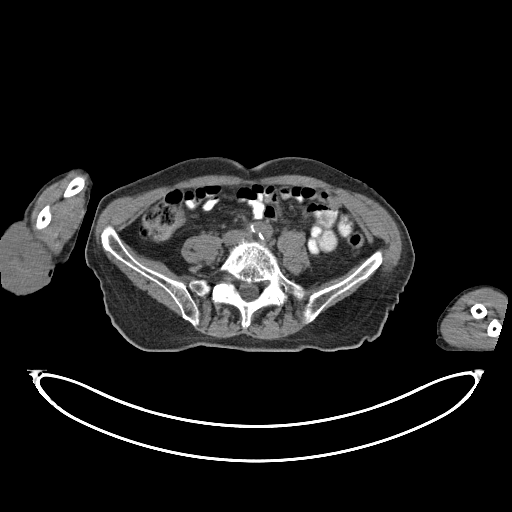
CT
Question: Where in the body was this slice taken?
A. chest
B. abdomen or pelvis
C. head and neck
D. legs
Answer: B. abdomen or pelvis
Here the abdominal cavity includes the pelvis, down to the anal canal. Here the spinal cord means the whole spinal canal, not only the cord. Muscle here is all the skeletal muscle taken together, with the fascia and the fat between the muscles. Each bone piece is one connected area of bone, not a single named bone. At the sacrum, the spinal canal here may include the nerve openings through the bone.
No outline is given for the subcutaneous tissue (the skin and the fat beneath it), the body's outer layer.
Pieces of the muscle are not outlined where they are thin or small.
{"torso":[[[207,156],[228,157],[247,167],[284,156],[316,159],[365,182],[395,209],[408,230],[415,260],[399,301],[377,338],[335,351],[248,352],[198,346],[152,352],[134,346],[121,335],[106,314],[99,282],[84,257],[98,202],[110,191],[174,163]]],"bones":[{"outer":[[107,225],[141,264],[187,286],[194,279],[217,282],[222,274],[215,272],[242,239],[264,244],[281,272],[305,294],[298,299],[288,291],[281,306],[257,309],[243,328],[235,306],[215,303],[210,293],[192,293],[199,310],[193,326],[162,287],[103,248]],"hole":[[235,279],[240,280],[242,282],[248,284],[251,283],[257,283],[258,282],[263,282],[264,281],[267,281],[268,283],[265,285],[256,298],[248,301],[245,300],[241,296],[240,293],[237,290],[236,287],[232,282],[232,281]]},[[377,249],[380,249],[382,252],[383,259],[381,264],[366,279],[356,283],[349,289],[335,297],[311,322],[307,324],[304,324],[302,312],[305,307],[305,305],[308,300],[310,294],[315,291],[317,291],[320,289],[335,284],[346,278],[350,275],[366,258]],[[78,175],[81,175],[85,178],[85,183],[84,184],[84,186],[83,188],[79,192],[78,192],[76,194],[72,196],[70,196],[69,197],[64,197],[63,196],[63,194],[65,191],[65,189],[67,185],[69,183],[69,182],[74,177]],[[46,205],[49,205],[50,206],[50,211],[51,212],[51,218],[50,219],[50,221],[49,222],[49,223],[45,227],[44,227],[41,229],[38,229],[35,227],[35,225],[36,224],[36,220],[37,219],[37,216],[38,215],[38,214],[39,213],[39,212]],[[476,303],[481,303],[482,304],[483,304],[487,310],[487,313],[486,314],[486,315],[484,317],[483,317],[482,318],[480,318],[479,319],[476,319],[475,318],[474,318],[473,317],[473,316],[471,313],[471,311],[470,310],[471,307],[474,304],[475,304]],[[494,318],[495,318],[496,319],[497,319],[501,324],[501,330],[500,331],[500,332],[499,333],[499,335],[498,336],[495,336],[494,337],[493,337],[492,336],[489,336],[487,334],[487,327],[488,326],[488,325],[489,324],[489,323],[491,321],[491,320]]],"abdominal_cavity":[{"outer":[[259,183],[316,186],[331,190],[340,198],[363,231],[367,243],[374,246],[375,250],[336,277],[310,285],[298,283],[282,272],[278,258],[264,243],[244,238],[228,250],[215,271],[207,274],[177,274],[162,261],[138,253],[120,236],[124,228],[173,188]],"hole":[[287,230],[295,230],[296,231],[303,232],[305,236],[304,245],[308,255],[310,266],[298,274],[292,274],[291,273],[289,273],[289,272],[285,268],[282,264],[282,262],[283,261],[282,254],[280,253],[279,249],[277,246],[278,237],[282,233],[282,232]]}],"left_arm":[[[483,283],[494,285],[503,290],[507,295],[507,303],[505,308],[503,322],[501,324],[501,330],[493,350],[491,352],[449,352],[440,348],[435,342],[436,338],[436,322],[439,315],[447,304],[459,292],[470,286],[473,286],[477,284],[482,284]]],"right_arm":[[[74,167],[82,167],[88,170],[93,181],[93,186],[75,246],[68,260],[55,268],[52,278],[47,285],[33,293],[24,296],[18,296],[5,290],[3,288],[2,274],[0,271],[0,240],[3,235],[4,229],[23,216],[25,208],[44,183],[52,177]]],"muscle":[[[205,175],[232,175],[251,180],[302,175],[362,194],[383,207],[396,223],[402,244],[399,261],[388,275],[382,276],[377,272],[351,294],[322,312],[335,298],[366,280],[384,259],[382,250],[368,243],[364,231],[335,192],[316,185],[274,182],[173,187],[152,202],[119,235],[112,225],[107,224],[100,233],[100,242],[106,252],[162,288],[177,306],[180,317],[135,286],[106,257],[97,245],[95,231],[100,214],[114,199]],[[362,260],[343,279],[310,293],[301,312],[302,322],[306,325],[297,332],[283,338],[260,339],[244,333],[230,337],[215,337],[201,333],[193,327],[200,323],[200,310],[192,294],[199,297],[210,294],[211,300],[215,304],[221,303],[235,307],[240,314],[240,325],[243,329],[246,329],[251,324],[252,316],[257,310],[269,306],[281,307],[288,298],[288,292],[301,300],[306,294],[306,290],[302,285],[320,284],[341,276]],{"outer":[[483,287],[491,288],[501,293],[507,299],[503,322],[501,323],[497,318],[494,317],[490,320],[486,327],[486,334],[489,337],[498,337],[494,348],[468,349],[450,345],[443,339],[440,330],[440,326],[443,319],[449,312],[450,308],[461,296],[470,291]],"hole":[[476,303],[481,303],[482,304],[483,304],[487,310],[487,313],[486,314],[486,315],[484,317],[483,317],[482,318],[480,318],[479,319],[476,319],[475,318],[474,318],[473,317],[473,316],[471,313],[471,311],[470,310],[471,307],[474,304],[475,304]]},{"outer":[[75,171],[80,171],[86,174],[87,176],[87,186],[85,191],[84,203],[83,204],[83,207],[79,217],[79,220],[78,221],[77,226],[73,234],[63,246],[61,251],[57,255],[54,255],[54,253],[52,250],[45,244],[44,244],[44,243],[40,239],[36,237],[33,234],[30,228],[30,217],[31,216],[32,210],[35,205],[35,203],[42,192],[51,184],[54,183],[56,181],[58,181],[62,179],[68,174]],"holes":[[[78,175],[81,175],[85,178],[85,183],[84,184],[84,186],[83,188],[79,192],[78,192],[76,194],[72,196],[70,196],[69,197],[64,197],[63,196],[63,194],[65,191],[65,189],[67,185],[69,183],[69,182],[74,177]],[[46,205],[49,205],[50,206],[50,211],[51,212],[51,218],[50,219],[50,221],[49,222],[49,223],[45,227],[44,227],[41,229],[38,229],[35,227],[35,225],[36,224],[36,220],[37,219],[37,216],[38,215],[38,214],[39,213],[39,212]]]},[[287,230],[295,230],[296,231],[303,232],[305,236],[304,245],[308,255],[310,266],[298,274],[292,274],[291,273],[289,273],[289,272],[285,268],[282,264],[282,262],[283,261],[282,254],[280,253],[279,249],[277,246],[278,237],[282,233],[282,232]],[[200,234],[211,234],[214,236],[218,237],[221,240],[222,256],[217,261],[214,263],[212,263],[211,265],[207,265],[206,264],[205,265],[203,265],[202,264],[192,264],[191,263],[188,263],[184,259],[181,254],[181,248],[186,239],[192,236],[195,236]],[[122,239],[138,254],[162,262],[172,272],[177,275],[183,274],[207,275],[214,272],[216,274],[217,273],[221,274],[218,278],[219,279],[213,283],[210,283],[206,278],[194,278],[191,279],[187,285],[181,280],[169,277],[141,263],[129,252],[123,243]]],"spinal_cord":[[[235,279],[240,280],[242,282],[248,284],[251,283],[257,283],[258,282],[263,282],[264,281],[267,281],[268,283],[265,285],[256,298],[248,301],[245,300],[241,296],[240,293],[237,290],[236,287],[232,282],[232,281]]]}